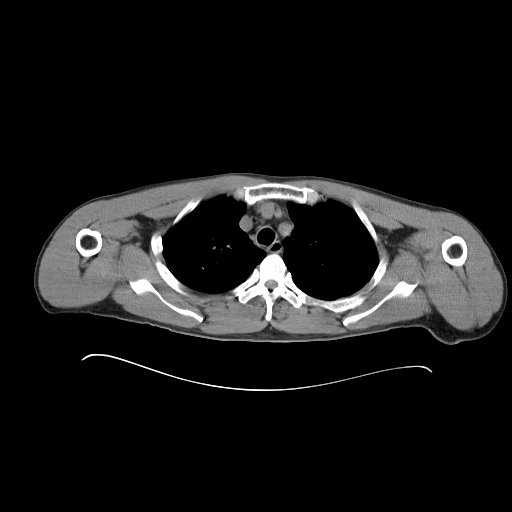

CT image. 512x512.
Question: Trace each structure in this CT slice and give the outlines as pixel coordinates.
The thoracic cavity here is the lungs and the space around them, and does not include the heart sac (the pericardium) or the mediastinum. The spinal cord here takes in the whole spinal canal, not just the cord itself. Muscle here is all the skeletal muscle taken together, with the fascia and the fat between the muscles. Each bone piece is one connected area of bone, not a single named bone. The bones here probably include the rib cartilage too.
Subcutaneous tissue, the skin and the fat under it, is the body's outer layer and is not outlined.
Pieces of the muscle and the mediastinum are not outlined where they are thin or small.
Answer: The thoracic cavity appears in 2 outlined pieces: piece 1: [[329,199],[352,208],[375,244],[378,256],[378,262],[373,273],[360,289],[351,295],[330,300],[318,298],[303,291],[294,282],[292,274],[288,270],[283,259],[285,239],[292,237],[292,232],[295,226],[289,215],[289,203],[293,202],[313,206],[321,201]]; piece 2: [[220,195],[230,195],[237,201],[245,203],[245,209],[238,221],[238,226],[246,233],[254,245],[265,252],[265,256],[252,270],[251,273],[242,282],[233,288],[224,292],[207,293],[185,285],[169,269],[163,256],[163,236],[172,226],[191,212],[200,203]]. The left arm is outlined by [[441,206],[453,209],[461,213],[471,220],[481,230],[491,244],[503,266],[506,274],[508,285],[508,296],[506,307],[499,322],[494,329],[490,333],[481,338],[475,340],[461,341],[451,345],[441,343],[435,339],[425,329],[425,295],[424,294],[423,258]]. The bones appear in 10 outlined pieces: piece 1: [[272,253],[282,258],[293,282],[310,296],[330,301],[358,292],[366,297],[361,304],[342,312],[307,304],[296,308],[286,299],[278,297],[271,308],[271,319],[266,320],[266,303],[260,295],[245,303],[241,303],[235,296],[227,296],[266,255]]; inner edge: [[268,280],[274,280],[276,282],[276,283],[277,284],[276,285],[276,286],[275,287],[274,287],[272,289],[269,289],[265,285],[265,284],[266,283],[266,282]]; piece 2: [[266,182],[281,182],[298,187],[305,186],[309,187],[321,194],[325,199],[313,205],[306,203],[297,203],[290,200],[284,200],[279,198],[266,198],[248,204],[242,199],[237,200],[232,195],[228,194],[231,194],[237,188],[243,186],[255,185]]; piece 3: [[155,232],[157,232],[161,235],[162,237],[162,247],[163,248],[162,255],[158,256],[157,258],[164,263],[173,275],[185,286],[185,290],[188,293],[188,295],[183,295],[173,289],[166,283],[159,274],[154,263],[157,257],[154,255],[150,246],[151,235]]; piece 4: [[453,235],[458,235],[459,236],[461,236],[464,239],[466,243],[466,245],[467,246],[467,256],[466,257],[466,259],[464,263],[461,266],[453,266],[449,264],[446,261],[444,260],[442,256],[442,254],[441,253],[441,244],[442,242],[446,238],[448,238]]; piece 5: [[401,280],[403,280],[408,283],[418,282],[417,285],[408,296],[406,297],[393,296],[386,300],[371,313],[354,322],[349,323],[347,326],[345,326],[343,324],[342,320],[345,317],[349,315],[365,311],[367,309],[372,307],[389,293],[393,289],[395,285]]; piece 6: [[86,227],[88,227],[93,230],[97,230],[99,231],[102,237],[102,245],[101,246],[101,248],[100,250],[94,255],[92,255],[89,257],[82,256],[76,248],[76,246],[75,245],[75,237],[76,236],[76,234],[80,229],[82,228],[85,228]]; piece 7: [[139,278],[147,279],[161,296],[171,304],[183,309],[191,310],[197,314],[201,315],[203,317],[203,320],[201,322],[199,322],[195,318],[191,316],[184,315],[177,312],[166,305],[152,292],[149,291],[142,294],[137,294],[130,286],[129,281]]; piece 8: [[352,200],[354,200],[360,206],[362,210],[367,216],[369,221],[372,224],[376,232],[376,235],[378,239],[378,241],[376,244],[374,242],[370,233],[368,231],[366,227],[363,224],[363,223],[361,221],[361,220],[353,209],[351,205],[351,201]]; piece 9: [[381,257],[386,257],[388,260],[385,272],[380,279],[380,280],[378,282],[378,283],[374,287],[373,287],[371,289],[369,289],[370,284],[368,282],[371,278],[372,275],[374,273],[378,265],[378,263],[379,262],[379,259]]; piece 10: [[197,198],[201,198],[201,200],[200,202],[191,211],[190,211],[188,213],[184,215],[175,224],[173,225],[172,224],[172,222],[173,220],[178,214],[178,213],[182,209],[182,208],[190,200],[193,200]]. The mediastinum is outlined by [[266,199],[279,199],[284,201],[290,201],[287,205],[288,215],[294,226],[291,232],[291,237],[286,237],[284,239],[282,257],[275,252],[266,254],[266,252],[263,249],[254,244],[247,233],[239,226],[239,221],[246,209],[246,204],[251,205],[258,201]]. The muscle is outlined by [[224,175],[269,181],[201,202],[201,197],[190,199],[162,236],[157,231],[151,234],[154,220],[140,220],[142,246],[147,248],[149,238],[158,274],[183,296],[189,295],[186,286],[207,294],[229,291],[226,298],[235,297],[241,304],[260,296],[266,321],[272,319],[278,298],[296,309],[307,305],[335,313],[361,305],[367,297],[358,291],[367,283],[369,290],[374,288],[389,260],[379,258],[377,232],[354,199],[351,207],[326,199],[312,187],[282,182],[320,179],[465,220],[487,246],[500,273],[500,307],[484,325],[470,330],[423,315],[336,334],[288,333],[268,326],[255,332],[212,334],[136,315],[110,301],[54,306],[40,292],[40,264],[53,236],[75,211],[151,187]] with holes at [[453,235],[458,235],[459,236],[461,236],[464,239],[466,243],[466,245],[467,246],[467,256],[466,257],[466,259],[464,263],[461,266],[453,266],[449,264],[446,261],[444,260],[442,256],[442,254],[441,253],[441,244],[442,242],[446,238],[448,238]] and at [[401,280],[403,280],[408,283],[418,282],[417,285],[408,296],[406,297],[393,296],[386,300],[371,313],[354,322],[349,323],[347,326],[345,326],[343,324],[342,320],[345,317],[349,315],[365,311],[367,309],[372,307],[389,293],[393,289],[395,285]] and at [[86,227],[88,227],[93,230],[97,230],[99,231],[102,237],[102,245],[101,246],[101,248],[100,250],[94,255],[92,255],[89,257],[82,256],[76,248],[76,246],[75,245],[75,237],[76,236],[76,234],[80,229],[82,228],[85,228]] and at [[139,278],[147,279],[161,296],[171,304],[183,309],[191,310],[197,314],[201,315],[203,317],[203,320],[201,322],[199,322],[195,318],[191,316],[184,315],[177,312],[166,305],[152,292],[149,291],[142,294],[137,294],[130,286],[129,281]] and at [[399,229],[408,230],[409,232],[403,237],[401,241],[398,242],[396,244],[395,246],[395,252],[393,253],[389,248],[389,245],[388,244],[390,243],[388,240],[388,235],[382,232],[382,230],[384,230],[386,233],[388,234],[391,233],[393,231]]. The spinal cord is outlined by [[268,280],[274,280],[276,282],[276,283],[277,284],[276,285],[276,286],[275,287],[274,287],[272,289],[269,289],[265,285],[265,284],[266,283],[266,282]]. The torso is outlined by [[236,171],[255,172],[271,175],[326,176],[357,182],[409,199],[440,206],[422,258],[424,329],[420,327],[398,328],[374,334],[331,341],[220,341],[178,334],[148,324],[138,324],[112,317],[102,317],[111,302],[118,255],[122,238],[120,191],[151,182]]. The right arm is outlined by [[116,192],[119,192],[121,238],[119,244],[119,249],[117,255],[109,304],[101,316],[95,316],[90,314],[73,314],[72,313],[65,313],[55,315],[45,311],[39,303],[33,287],[33,272],[35,262],[42,244],[59,221],[69,211],[76,206],[91,198]].